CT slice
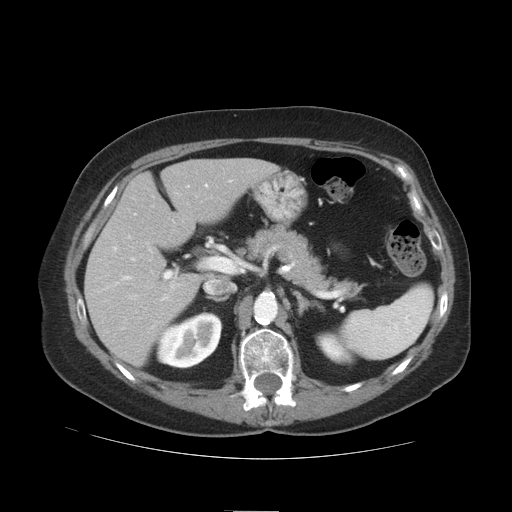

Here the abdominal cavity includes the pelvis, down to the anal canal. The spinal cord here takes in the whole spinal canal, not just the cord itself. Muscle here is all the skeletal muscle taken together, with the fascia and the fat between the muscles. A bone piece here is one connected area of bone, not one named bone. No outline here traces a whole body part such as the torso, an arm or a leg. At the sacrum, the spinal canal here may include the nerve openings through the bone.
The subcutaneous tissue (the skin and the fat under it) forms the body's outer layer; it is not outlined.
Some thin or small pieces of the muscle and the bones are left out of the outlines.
The spinal cord is outlined by 264,373 271,373 272,374 275,374 277,376 278,376 281,380 281,384 280,385 280,386 274,392 274,393 271,395 265,395 260,390 257,389 254,385 254,381 255,380 255,379 258,376 259,376 261,374 263,374. The abdominal cavity is outlined by 241,142 356,154 389,169 403,181 415,217 439,260 439,298 423,339 380,375 346,385 306,376 296,342 261,327 240,340 233,352 232,374 223,380 168,381 135,370 110,355 92,336 77,271 126,184 150,166. The bones appear in 8 outlined pieces: piece 1: 261,328 268,328 282,334 291,347 294,357 292,372 295,376 292,381 294,406 277,405 273,402 270,411 267,405 260,405 245,410 243,408 245,399 241,395 230,396 240,390 245,381 239,365 240,342 249,333; inner edge: 264,373 271,373 272,374 275,374 277,376 278,376 281,380 281,384 280,385 280,386 274,392 274,393 271,395 265,395 260,390 257,389 254,385 254,381 255,380 255,379 258,376 259,376 261,374 263,374; piece 2: 386,161 388,161 392,164 398,164 403,166 411,175 412,177 412,181 415,187 416,192 424,207 424,214 423,215 420,215 414,211 410,203 410,200 407,195 407,191 409,186 395,173 393,169 390,169 388,167; piece 3: 116,184 118,184 117,191 111,202 101,214 95,226 95,228 92,233 92,235 90,239 90,242 87,248 86,249 84,249 83,248 83,238 84,237 84,235 87,229 97,214 102,208 102,205 105,198; piece 4: 433,229 435,229 438,232 440,236 440,238 441,239 441,243 442,244 442,250 440,250 439,251 438,250 436,250 434,249 434,248 432,246 432,244 430,240 428,238 427,233 429,231; piece 5: 79,297 81,297 82,298 82,299 83,300 83,303 85,306 85,313 86,314 86,318 87,319 87,324 82,324 81,323 81,322 80,321 80,320 78,317 78,315 77,314 77,300; piece 6: 444,290 445,290 447,293 447,308 446,309 446,311 444,313 444,314 443,315 443,316 440,318 438,315 438,303 439,302 439,299 440,298 440,295 441,294 441,293; piece 7: 409,355 412,355 412,358 411,359 411,360 409,362 409,363 406,366 406,367 402,371 401,371 400,372 399,372 398,373 397,373 396,374 395,374 394,375 392,375 391,374 391,372 406,357 407,357; piece 8: 115,361 117,361 120,364 121,364 126,369 127,369 132,374 132,375 136,379 136,381 135,382 134,382 133,381 132,381 131,380 130,380 129,379 128,379 119,370 119,369 115,365 115,364 114,363 115,362. The muscle is outlined by 248,137 311,137 316,139 323,139 330,141 343,141 344,142 354,143 363,147 366,147 373,150 377,150 398,157 405,161 414,171 424,194 434,209 435,213 437,215 445,232 447,241 451,249 453,257 454,270 455,271 454,297 453,298 453,303 451,311 448,317 447,322 435,338 435,341 432,345 432,352 419,366 389,389 373,399 356,407 326,417 313,420 307,420 306,421 296,421 294,423 288,425 257,426 254,427 253,426 249,426 245,423 237,424 210,418 194,412 186,411 171,406 151,396 139,392 128,386 123,381 116,377 108,370 105,369 100,362 78,340 74,333 73,325 69,316 66,293 64,290 65,286 63,277 64,264 66,259 67,251 71,243 72,236 77,225 106,182 117,171 124,166 131,163 137,158 146,153 166,146 174,144 186,143 187,142 206,140 207,139 215,139 216,138 247,138 with holes at 241,142 401,165 424,207 415,217 440,236 446,311 356,389 306,376 291,340 295,405 245,410 241,395 230,396 245,381 238,348 223,380 162,380 110,355 78,317 83,238 113,187 91,242 138,172 and at 409,355 412,355 412,358 411,359 411,360 409,362 409,363 406,366 406,367 402,371 401,371 400,372 399,372 398,373 397,373 396,374 395,374 394,375 392,375 391,374 391,372 406,357 407,357 and at 115,361 117,361 120,364 121,364 126,369 127,369 132,374 132,375 136,379 136,381 135,382 134,382 133,381 132,381 131,380 130,380 129,379 128,379 119,370 119,369 115,365 115,364 114,363 115,362.